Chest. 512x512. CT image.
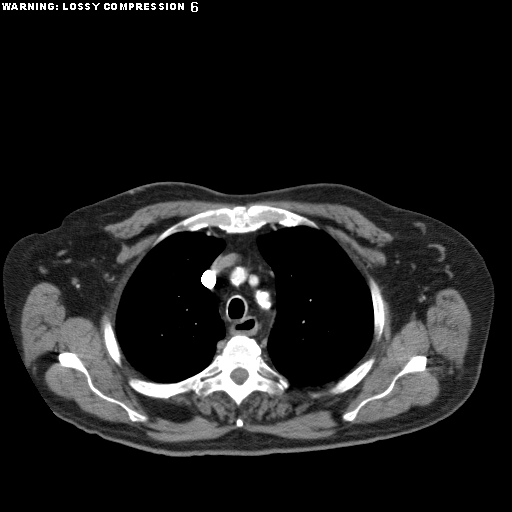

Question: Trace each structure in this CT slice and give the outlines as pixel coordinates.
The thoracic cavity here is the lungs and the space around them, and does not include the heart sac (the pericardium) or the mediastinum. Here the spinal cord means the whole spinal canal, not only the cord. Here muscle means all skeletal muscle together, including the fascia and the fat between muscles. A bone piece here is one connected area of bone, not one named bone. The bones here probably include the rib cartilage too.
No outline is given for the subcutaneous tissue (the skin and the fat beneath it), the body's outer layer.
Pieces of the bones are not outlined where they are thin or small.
Answer: The mediastinum is outlined by (267, 224) (282, 227) (256, 240) (261, 255) (273, 271) (276, 292) (275, 318) (267, 339) (267, 353) (262, 354) (257, 341) (245, 334) (235, 334) (222, 342) (225, 326) (218, 302) (202, 283) (201, 276) (223, 250) (225, 242) (202, 229) (215, 227) (227, 234) (243, 234). The bones appear in 7 outlined pieces: piece 1: (235, 335) (245, 335) (254, 339) (261, 349) (264, 360) (289, 381) (290, 386) (280, 395) (270, 395) (255, 390) (237, 406) (222, 390) (205, 396) (198, 396) (190, 391) (158, 398) (141, 394) (128, 383) (129, 377) (156, 383) (175, 383) (184, 380) (204, 369) (226, 342); inner edge: (237, 368) (241, 368) (242, 369) (244, 369) (247, 372) (247, 377) (241, 383) (237, 383) (236, 382) (235, 382) (232, 379) (232, 378) (231, 377) (231, 373) (235, 369) (236, 369); piece 2: (254, 204) (265, 204) (288, 210) (308, 218) (313, 221) (318, 228) (306, 225) (287, 227) (277, 223) (267, 223) (254, 231) (227, 233) (213, 226) (195, 231) (178, 231) (152, 246) (160, 234) (170, 226) (197, 213) (208, 209) (221, 207) (232, 208) (237, 205) (249, 206); piece 3: (65, 351) (73, 352) (77, 355) (86, 368) (92, 384) (103, 394) (122, 402) (131, 409) (141, 414) (146, 415) (148, 419) (143, 422) (132, 421) (129, 418) (127, 412) (120, 405) (106, 400) (96, 394) (88, 385) (87, 378) (81, 371) (60, 364) (58, 359) (58, 354); piece 4: (414, 355) (424, 355) (427, 358) (424, 370) (409, 372) (400, 376) (396, 380) (389, 393) (383, 397) (373, 399) (367, 402) (359, 409) (353, 420) (347, 421) (342, 418) (342, 415) (344, 413) (353, 410) (364, 399) (384, 391) (388, 387) (394, 376) (403, 368) (410, 358); piece 5: (371, 356) (373, 356) (375, 358) (374, 363) (372, 365) (370, 370) (363, 377) (363, 378) (354, 386) (342, 393) (334, 394) (333, 395) (325, 393) (316, 398) (311, 397) (310, 393) (312, 392) (316, 392) (317, 391) (318, 392) (324, 392) (330, 386) (343, 378) (358, 365); piece 6: (369, 277) (372, 277) (378, 284) (380, 291) (381, 292) (381, 295) (384, 302) (384, 316) (385, 318) (384, 319) (384, 323) (383, 324) (383, 328) (382, 329) (381, 336) (379, 340) (377, 341) (374, 338) (374, 311) (373, 310) (373, 303) (372, 302) (371, 293) (369, 288); piece 7: (106, 320) (109, 320) (112, 325) (112, 327) (114, 330) (114, 333) (115, 334) (116, 340) (118, 343) (120, 350) (123, 355) (121, 359) (121, 366) (119, 366) (110, 356) (110, 355) (108, 353) (108, 351) (106, 348) (106, 346) (104, 342) (104, 338) (103, 337) (103, 324). The thoracic cavity appears in 2 outlined pieces: piece 1: (297, 226) (306, 226) (322, 230) (337, 242) (364, 278) (372, 303) (373, 337) (359, 364) (334, 383) (322, 387) (291, 387) (290, 381) (272, 367) (262, 355) (268, 353) (268, 339) (277, 313) (277, 292) (274, 271) (262, 255) (257, 240) (258, 237) (283, 227) (290, 228); piece 2: (200, 230) (224, 242) (222, 250) (201, 274) (200, 281) (215, 296) (218, 314) (224, 326) (224, 336) (221, 342) (225, 343) (211, 361) (198, 372) (175, 382) (152, 381) (147, 379) (128, 362) (117, 340) (115, 319) (120, 298) (138, 264) (152, 247) (175, 233). The spinal cord is outlined by (237, 368) (241, 368) (242, 369) (244, 369) (247, 372) (247, 377) (241, 383) (237, 383) (236, 382) (235, 382) (232, 379) (232, 378) (231, 377) (231, 373) (235, 369) (236, 369). The torso is outlined by (155, 181) (191, 182) (225, 193) (336, 182) (429, 215) (458, 230) (484, 258) (495, 292) (481, 372) (467, 399) (449, 416) (410, 433) (345, 447) (255, 456) (156, 454) (87, 433) (59, 418) (32, 380) (14, 340) (4, 303) (5, 257) (18, 239) (57, 227) (71, 211). The muscle is outlined by (190, 199) (238, 204) (197, 212) (160, 233) (123, 288) (114, 329) (109, 319) (102, 324) (113, 361) (121, 367) (123, 356) (146, 378) (127, 378) (137, 393) (167, 399) (222, 391) (239, 407) (255, 391) (280, 396) (290, 387) (331, 385) (311, 398) (342, 394) (371, 370) (373, 355) (360, 362) (384, 328) (385, 302) (379, 284) (372, 276) (369, 276) (368, 285) (338, 242) (308, 217) (245, 205) (266, 199) (347, 205) (394, 237) (381, 248) (385, 264) (374, 269) (389, 304) (393, 332) (412, 317) (424, 322) (439, 290) (457, 290) (471, 314) (461, 368) (440, 381) (427, 405) (313, 439) (237, 428) (215, 438) (160, 441) (57, 395) (25, 359) (20, 323) (30, 290) (54, 284) (67, 317) (97, 325) (124, 268) (116, 262) (121, 241) (103, 227) (149, 204); inner edges: (65, 351) (73, 352) (77, 355) (86, 368) (92, 384) (103, 394) (122, 402) (131, 409) (141, 414) (146, 415) (148, 419) (143, 422) (132, 421) (129, 418) (127, 412) (120, 405) (106, 400) (96, 394) (88, 385) (87, 378) (81, 371) (60, 364) (58, 359) (58, 354), then (414, 355) (424, 355) (427, 358) (424, 370) (409, 372) (400, 376) (396, 380) (389, 393) (383, 397) (373, 399) (367, 402) (359, 409) (353, 420) (347, 421) (342, 418) (342, 415) (344, 413) (353, 410) (364, 399) (384, 391) (388, 387) (394, 376) (403, 368) (410, 358), then (238, 417) (240, 417) (242, 419) (242, 420) (243, 421) (243, 424) (242, 425) (242, 426) (241, 426) (240, 427) (238, 427) (236, 425) (236, 419).